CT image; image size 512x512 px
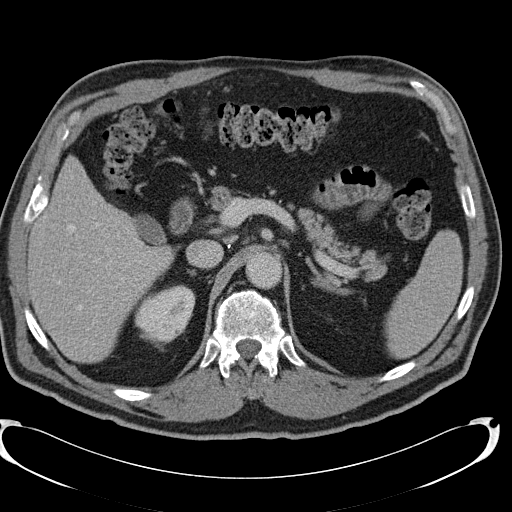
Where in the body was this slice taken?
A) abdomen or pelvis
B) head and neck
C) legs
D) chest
A) abdomen or pelvis
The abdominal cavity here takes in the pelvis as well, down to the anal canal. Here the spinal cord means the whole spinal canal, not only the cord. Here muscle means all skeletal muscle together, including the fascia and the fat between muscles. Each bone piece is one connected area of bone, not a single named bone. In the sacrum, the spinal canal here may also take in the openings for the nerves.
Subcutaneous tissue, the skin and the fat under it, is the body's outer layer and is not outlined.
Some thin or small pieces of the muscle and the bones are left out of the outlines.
{"muscle":[{"outer":[[239,65],[272,65],[292,69],[296,68],[303,68],[304,69],[328,68],[332,70],[350,70],[355,72],[363,72],[378,75],[417,76],[435,86],[449,100],[461,122],[461,125],[467,140],[469,153],[471,156],[471,159],[478,179],[480,187],[480,196],[485,216],[485,227],[487,232],[487,236],[485,240],[488,244],[487,264],[484,279],[482,282],[481,289],[478,294],[478,298],[474,308],[470,331],[458,357],[451,363],[437,370],[427,373],[422,377],[397,389],[372,399],[351,410],[332,416],[318,419],[302,419],[296,417],[291,417],[273,410],[257,400],[254,400],[246,403],[238,411],[225,418],[204,420],[199,422],[163,421],[134,414],[86,396],[70,389],[42,374],[31,371],[24,367],[18,361],[16,354],[15,316],[12,304],[12,299],[9,290],[9,285],[11,283],[11,281],[8,276],[8,269],[7,268],[8,238],[11,220],[19,201],[22,187],[30,164],[38,147],[39,142],[53,116],[66,102],[77,96],[105,88],[109,88],[129,80],[140,78],[165,78],[175,72],[199,67],[238,66]],"holes":[[[248,69],[344,92],[414,97],[432,109],[456,188],[466,183],[473,198],[475,217],[465,217],[471,303],[394,379],[342,375],[305,357],[306,366],[298,366],[280,351],[273,377],[258,363],[249,375],[238,361],[224,377],[216,359],[198,366],[206,337],[167,383],[134,388],[151,396],[123,399],[113,390],[127,386],[89,377],[31,333],[24,314],[32,227],[23,220],[26,206],[37,177],[49,190],[62,155],[96,117]],[[410,79],[413,79],[422,83],[428,90],[436,94],[441,99],[450,116],[451,122],[455,128],[455,131],[452,134],[449,133],[446,130],[440,114],[434,107],[431,101],[425,96],[419,95],[415,89],[410,85],[409,83],[409,80]],[[77,110],[79,111],[79,118],[70,128],[71,129],[70,132],[65,141],[63,142],[62,146],[59,149],[58,155],[52,160],[51,159],[52,157],[58,149],[57,146],[57,138],[58,137],[57,136],[57,130],[62,123],[67,121],[70,114],[72,112]]]}],"abdominal_cavity":[[[248,69],[344,92],[414,97],[432,109],[467,228],[467,281],[455,312],[417,357],[357,377],[303,357],[273,302],[246,288],[216,304],[211,333],[167,383],[128,387],[89,377],[50,343],[30,308],[26,284],[28,234],[48,203],[62,155],[100,115]]],"bones":[{"outer":[[246,289],[253,289],[272,302],[306,366],[295,365],[279,351],[277,374],[273,377],[258,363],[253,366],[249,375],[237,361],[230,366],[228,377],[222,376],[216,359],[207,366],[199,368],[206,341],[215,325],[217,304],[230,293]],"hole":[[245,339],[250,339],[251,340],[256,340],[260,343],[260,348],[259,350],[251,358],[249,359],[246,359],[242,357],[240,353],[237,350],[236,348],[236,345],[237,343],[239,341],[241,340],[244,340]]},[[40,174],[42,174],[43,176],[43,180],[46,182],[47,196],[48,197],[47,198],[47,203],[45,207],[43,208],[35,219],[34,219],[31,223],[27,223],[24,222],[23,220],[23,215],[26,206],[30,199],[32,191],[37,182],[37,177]],[[410,79],[413,79],[422,83],[428,90],[436,94],[441,99],[450,116],[451,122],[455,128],[455,131],[452,134],[449,133],[446,130],[440,114],[434,107],[431,101],[425,96],[419,95],[415,89],[410,85],[409,83],[409,80]],[[26,306],[29,307],[37,323],[39,325],[40,328],[42,330],[45,336],[47,338],[49,342],[49,349],[48,350],[45,349],[35,339],[35,338],[31,333],[28,327],[28,325],[27,324],[27,322],[25,318],[25,315],[24,314],[24,308]],[[77,110],[79,111],[79,118],[70,128],[71,129],[70,132],[65,141],[63,142],[62,146],[59,149],[58,155],[52,160],[51,159],[52,157],[58,149],[57,146],[57,138],[58,137],[57,136],[57,130],[62,123],[67,121],[70,114],[72,112]],[[464,183],[466,183],[469,186],[470,190],[471,191],[471,194],[472,195],[472,197],[473,198],[473,202],[474,203],[474,207],[475,208],[475,217],[474,218],[470,218],[466,216],[464,212],[462,204],[461,203],[460,196],[458,193],[458,186]],[[118,387],[120,387],[121,388],[134,388],[135,389],[139,389],[143,391],[150,392],[152,394],[151,396],[147,398],[142,399],[141,400],[133,400],[132,401],[130,400],[126,400],[125,399],[123,399],[119,397],[113,392],[113,390],[115,388],[117,388]],[[411,360],[414,360],[416,364],[414,366],[414,367],[413,367],[405,374],[399,377],[397,377],[394,379],[386,380],[385,381],[382,381],[381,382],[378,381],[378,378],[387,371],[390,370],[392,368],[400,364],[402,364],[405,362],[407,362]],[[469,285],[472,285],[474,287],[474,292],[473,293],[473,297],[472,298],[471,303],[467,311],[462,317],[462,318],[459,320],[457,320],[456,319],[456,315],[455,314],[456,312],[456,310],[458,307],[458,305],[460,302],[460,300],[466,288]]],"torso":[[[226,54],[286,59],[381,55],[420,69],[453,96],[494,200],[502,245],[498,293],[461,379],[401,413],[338,433],[304,439],[188,440],[90,416],[18,383],[9,374],[0,343],[0,214],[18,167],[57,99],[80,77],[108,65],[138,59],[196,59]]],"spinal_cord":[[[245,339],[250,339],[251,340],[256,340],[260,343],[260,348],[259,350],[251,358],[249,359],[246,359],[242,357],[240,353],[237,350],[236,348],[236,345],[237,343],[239,341],[241,340],[244,340]]]}